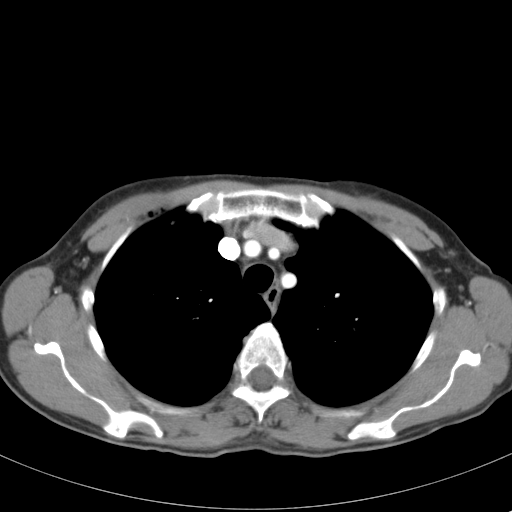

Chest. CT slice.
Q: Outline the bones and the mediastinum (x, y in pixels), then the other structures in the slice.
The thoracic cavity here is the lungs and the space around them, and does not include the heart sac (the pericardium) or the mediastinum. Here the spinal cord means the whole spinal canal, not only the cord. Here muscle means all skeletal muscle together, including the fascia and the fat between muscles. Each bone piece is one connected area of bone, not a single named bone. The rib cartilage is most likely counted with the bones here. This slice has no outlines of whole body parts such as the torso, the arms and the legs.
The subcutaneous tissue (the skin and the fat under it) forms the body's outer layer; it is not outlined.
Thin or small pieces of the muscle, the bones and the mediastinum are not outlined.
A: {"bones":[[[253,187],[290,193],[314,193],[329,202],[336,210],[333,215],[326,215],[317,229],[303,228],[279,218],[268,218],[263,215],[250,215],[226,220],[219,224],[203,221],[199,214],[185,210],[185,206],[193,198],[208,191],[215,193],[220,190],[230,191]],{"outer":[[267,321],[271,322],[279,333],[283,348],[291,363],[291,377],[293,387],[292,392],[288,396],[277,400],[264,412],[262,421],[259,423],[257,414],[254,409],[242,399],[230,394],[229,383],[232,379],[232,370],[234,362],[243,346],[243,339],[256,326]],"hole":[[262,365],[267,367],[272,372],[272,373],[275,377],[275,381],[274,382],[274,383],[269,388],[268,388],[265,390],[257,390],[256,389],[255,389],[250,384],[250,383],[248,380],[248,376],[249,375],[249,374],[255,368],[256,368],[259,366],[261,366]]},[[49,341],[59,344],[69,373],[88,393],[103,400],[116,411],[131,409],[146,413],[163,431],[162,437],[156,437],[152,428],[143,422],[134,423],[123,438],[109,435],[102,428],[109,418],[106,410],[70,383],[56,355],[39,354],[35,351],[35,342]],[[463,349],[480,353],[480,363],[476,366],[460,365],[455,370],[448,389],[433,403],[400,413],[392,422],[392,427],[396,431],[393,437],[386,439],[369,436],[356,439],[347,437],[358,423],[384,420],[402,407],[418,405],[431,398],[446,383],[450,370]],[[135,392],[140,393],[142,395],[150,399],[165,404],[173,405],[174,406],[179,406],[180,407],[197,406],[199,407],[199,409],[197,411],[195,411],[192,413],[183,414],[182,415],[179,414],[166,414],[165,413],[160,413],[157,411],[152,411],[136,398]],[[432,330],[434,330],[435,331],[436,335],[435,336],[434,343],[433,344],[431,351],[424,360],[424,361],[419,366],[419,367],[418,367],[413,372],[408,374],[407,373],[408,372],[408,370],[412,364],[412,362],[414,360],[418,351],[420,349],[427,334]],[[362,407],[367,407],[367,409],[366,410],[366,411],[362,415],[361,415],[360,416],[348,416],[347,417],[346,417],[345,416],[321,416],[320,415],[319,415],[317,413],[317,412],[316,411],[316,410],[318,408],[361,408]],[[89,323],[91,323],[95,326],[97,330],[97,332],[99,334],[101,338],[101,340],[104,346],[105,352],[109,360],[108,362],[105,362],[100,358],[100,357],[94,350],[93,347],[90,343],[90,341],[88,338],[88,336],[86,332],[86,327]],[[129,226],[132,226],[134,230],[125,239],[123,243],[117,249],[115,253],[108,262],[107,265],[105,267],[103,271],[100,274],[100,275],[99,275],[99,270],[100,269],[100,266],[101,265],[101,263],[104,256],[109,250],[114,242],[127,228],[127,227]],[[391,234],[394,234],[396,235],[399,238],[400,238],[402,240],[402,241],[409,248],[409,249],[411,250],[411,251],[413,252],[413,253],[417,257],[421,265],[421,267],[422,268],[422,273],[421,273],[419,271],[419,270],[414,265],[414,264],[389,238]]],"mediastinum":[[[250,216],[274,219],[273,223],[276,226],[294,232],[299,239],[296,254],[284,262],[295,274],[297,282],[294,287],[286,289],[281,294],[271,321],[269,321],[270,311],[262,298],[244,287],[238,266],[222,257],[217,250],[218,242],[223,235],[219,225]]],"spinal_cord":[[[262,365],[267,367],[272,372],[272,373],[275,377],[275,381],[274,382],[274,383],[269,388],[268,388],[265,390],[257,390],[256,389],[255,389],[250,384],[250,383],[248,380],[248,376],[249,375],[249,374],[255,368],[256,368],[259,366],[261,366]]],"thoracic_cavity":[[[180,207],[189,214],[199,215],[203,222],[220,227],[222,235],[217,252],[237,266],[243,287],[259,296],[269,311],[268,320],[256,325],[242,339],[228,384],[209,399],[190,406],[159,401],[132,385],[109,359],[94,315],[98,280],[118,249],[136,229]],[[337,209],[357,216],[397,247],[422,274],[431,290],[433,307],[427,333],[405,373],[373,397],[340,407],[319,403],[296,386],[292,363],[272,322],[282,294],[298,282],[285,262],[300,247],[297,234],[279,227],[274,220],[288,222],[298,230],[317,230]]],"muscle":[{"outer":[[215,179],[309,184],[369,194],[401,207],[443,240],[442,249],[420,255],[445,288],[430,288],[418,257],[396,234],[387,237],[314,192],[264,186],[208,190],[135,229],[127,226],[103,256],[94,291],[81,287],[81,304],[95,320],[85,327],[90,345],[152,398],[134,392],[152,412],[192,414],[228,385],[229,394],[251,407],[260,424],[274,403],[293,392],[294,383],[315,402],[333,407],[318,407],[319,416],[360,417],[367,406],[341,407],[369,400],[419,368],[435,343],[436,331],[428,332],[433,316],[442,314],[447,295],[451,305],[470,300],[468,285],[475,275],[501,282],[511,295],[505,378],[464,412],[412,426],[393,439],[325,449],[286,448],[255,438],[206,449],[123,439],[136,423],[149,426],[158,439],[164,431],[146,412],[116,410],[88,392],[70,373],[56,340],[35,341],[34,351],[56,356],[69,383],[105,410],[108,418],[101,428],[107,434],[37,401],[20,385],[7,358],[1,308],[10,282],[29,268],[49,264],[53,285],[74,298],[97,259],[80,238],[108,208],[140,192]],"hole":[[463,349],[480,353],[480,363],[476,366],[460,365],[455,370],[448,389],[433,403],[400,413],[392,422],[392,427],[396,431],[393,437],[386,439],[369,436],[356,439],[347,437],[358,423],[384,420],[402,407],[418,405],[431,398],[446,383],[450,370]]}]}